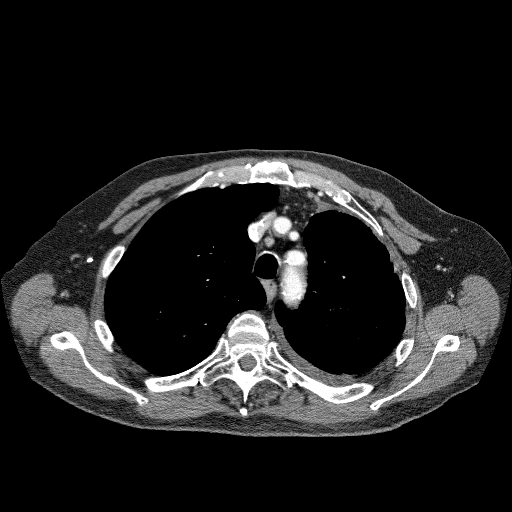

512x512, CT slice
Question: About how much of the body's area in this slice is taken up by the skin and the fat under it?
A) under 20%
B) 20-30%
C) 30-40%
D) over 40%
Answer: B) 20-30%
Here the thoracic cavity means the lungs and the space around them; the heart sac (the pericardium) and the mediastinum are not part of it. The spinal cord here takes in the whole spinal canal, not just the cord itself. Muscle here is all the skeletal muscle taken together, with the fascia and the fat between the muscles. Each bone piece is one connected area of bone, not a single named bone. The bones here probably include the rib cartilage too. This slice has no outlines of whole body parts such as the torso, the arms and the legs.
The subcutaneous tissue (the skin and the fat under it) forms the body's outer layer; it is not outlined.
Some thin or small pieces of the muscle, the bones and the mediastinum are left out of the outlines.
{"spinal_cord":[[[246,355],[250,355],[252,357],[253,357],[253,358],[255,360],[255,365],[250,370],[248,370],[247,371],[246,370],[244,370],[243,369],[242,369],[242,368],[241,367],[241,366],[240,365],[240,363],[239,362],[239,361],[244,356],[245,356]]],"mediastinum":[[[277,185],[321,191],[339,205],[315,213],[304,228],[302,242],[308,261],[306,292],[295,309],[287,308],[280,300],[275,302],[271,337],[264,319],[249,311],[261,309],[266,295],[251,272],[255,246],[247,228],[258,214],[270,210],[277,203],[280,192]]],"thoracic_cavity":[[[231,182],[269,183],[276,185],[279,191],[276,203],[258,213],[246,228],[254,246],[250,272],[261,285],[265,302],[259,309],[249,309],[235,315],[214,349],[196,364],[177,373],[152,375],[116,343],[105,320],[107,279],[144,224],[162,206],[186,193]],[[339,206],[361,219],[387,248],[403,290],[406,324],[403,337],[391,353],[388,364],[378,374],[365,381],[330,385],[299,370],[281,354],[278,342],[272,337],[272,317],[277,301],[287,309],[295,310],[307,292],[309,261],[303,232],[310,219],[317,213]]],"bones":[{"outer":[[245,311],[263,319],[280,354],[299,371],[330,386],[364,381],[373,383],[373,389],[344,403],[328,401],[296,383],[283,389],[266,379],[250,389],[245,403],[236,383],[224,377],[207,386],[149,391],[144,377],[169,376],[196,365],[215,349],[229,322]],"hole":[[246,355],[250,355],[252,357],[253,357],[253,358],[255,360],[255,365],[250,370],[248,370],[247,371],[246,370],[244,370],[243,369],[242,369],[242,368],[241,367],[241,366],[240,365],[240,363],[239,362],[239,361],[244,356],[245,356]]},[[264,159],[283,161],[292,170],[301,169],[332,180],[349,192],[375,218],[382,229],[383,236],[379,237],[361,218],[334,202],[321,190],[310,187],[231,181],[219,183],[213,187],[198,188],[174,198],[179,190],[209,170],[247,162],[254,164]],[[64,330],[71,332],[77,338],[83,348],[87,360],[94,368],[99,372],[112,377],[119,383],[143,395],[148,399],[147,403],[140,405],[132,394],[98,378],[86,367],[81,355],[76,349],[67,348],[61,350],[55,348],[51,344],[49,338],[52,334]],[[445,334],[453,334],[457,335],[459,337],[460,343],[457,350],[438,352],[436,354],[430,368],[420,381],[399,395],[385,401],[376,410],[371,409],[370,404],[372,402],[380,398],[388,396],[401,389],[415,378],[425,368],[431,358],[437,341],[441,336]],[[119,243],[123,244],[126,247],[126,249],[123,253],[121,258],[113,269],[113,270],[110,273],[108,277],[106,279],[105,279],[102,277],[102,273],[101,272],[104,260],[107,256],[109,251],[116,244],[118,244]],[[97,317],[100,317],[106,322],[114,338],[114,342],[112,345],[113,346],[114,351],[111,353],[109,352],[103,346],[102,343],[100,341],[100,340],[98,338],[96,334],[96,332],[95,331],[95,329],[93,325],[93,321],[94,319],[95,319]],[[405,269],[412,278],[416,286],[416,292],[417,293],[417,300],[416,301],[416,304],[414,308],[411,308],[407,305],[406,299],[405,298],[405,294],[404,293],[404,290],[403,289],[402,283],[400,279],[400,275],[402,271]],[[411,336],[413,337],[414,339],[414,344],[413,345],[413,347],[410,353],[400,364],[399,364],[397,366],[395,366],[394,365],[394,363],[395,362],[395,359],[392,357],[392,353],[394,351],[395,348],[398,345],[399,342],[404,337],[410,337]]],"muscle":[{"outer":[[241,156],[293,157],[336,169],[382,192],[401,216],[438,238],[404,256],[417,278],[426,310],[443,301],[455,304],[465,276],[484,276],[500,297],[499,319],[472,365],[453,383],[426,396],[396,403],[387,408],[389,411],[366,420],[331,425],[263,414],[246,417],[244,404],[238,409],[243,417],[211,412],[161,420],[139,415],[128,403],[69,386],[50,373],[14,327],[11,300],[22,282],[47,272],[53,275],[56,302],[78,304],[87,310],[97,267],[112,246],[100,270],[106,280],[104,319],[97,316],[92,325],[109,353],[115,351],[115,342],[151,375],[142,378],[151,393],[197,384],[207,387],[224,378],[235,383],[245,404],[251,389],[266,380],[283,390],[296,384],[328,402],[344,404],[367,396],[375,384],[366,381],[392,358],[397,367],[408,357],[415,339],[404,336],[406,307],[416,307],[417,286],[405,268],[397,272],[380,239],[384,232],[376,218],[349,191],[318,173],[292,169],[287,162],[273,158],[209,169],[155,211],[127,247],[116,243],[121,236],[110,227],[98,230],[100,222],[142,183]],"holes":[[[64,330],[71,332],[77,338],[83,348],[87,360],[94,368],[99,372],[112,377],[119,383],[143,395],[148,399],[147,403],[140,405],[132,394],[98,378],[86,367],[81,355],[76,349],[67,348],[61,350],[55,348],[51,344],[49,338],[52,334]],[[445,334],[453,334],[457,335],[459,337],[460,343],[457,350],[438,352],[436,354],[430,368],[420,381],[399,395],[385,401],[376,410],[371,409],[370,404],[372,402],[380,398],[388,396],[401,389],[415,378],[425,368],[431,358],[437,341],[441,336]]]}]}